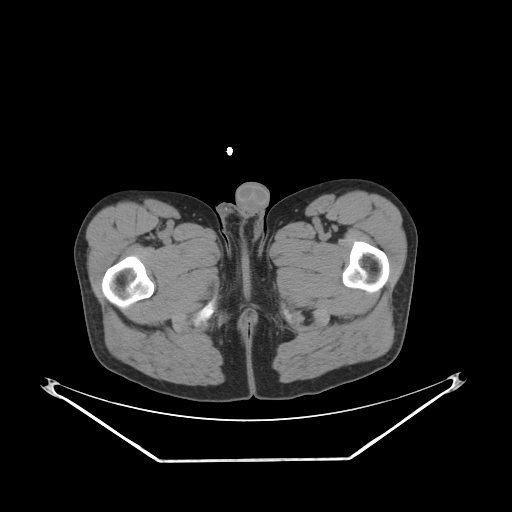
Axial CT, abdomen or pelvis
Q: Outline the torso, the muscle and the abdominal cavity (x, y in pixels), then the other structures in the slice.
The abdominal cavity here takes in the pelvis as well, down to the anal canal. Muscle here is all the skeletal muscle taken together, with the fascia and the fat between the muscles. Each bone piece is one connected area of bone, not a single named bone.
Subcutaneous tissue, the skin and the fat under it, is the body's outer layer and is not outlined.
A: {"torso":[[[337,178],[363,178],[387,187],[407,207],[417,229],[406,333],[389,365],[292,400],[212,403],[154,392],[97,361],[87,336],[73,247],[84,216],[100,198],[124,189],[169,190],[213,208],[233,202],[239,184],[256,181],[270,193],[266,213],[287,195]]],"muscle":[{"outer":[[345,189],[361,189],[380,194],[398,208],[402,217],[407,255],[392,295],[394,341],[386,353],[375,359],[343,366],[318,377],[282,383],[277,380],[271,366],[273,353],[284,336],[284,326],[268,268],[269,244],[281,222],[293,210],[322,194]],"hole":[[356,240],[365,241],[372,245],[378,247],[386,254],[388,258],[388,261],[389,262],[389,276],[387,281],[379,291],[376,292],[368,292],[365,290],[358,288],[351,288],[344,285],[342,282],[342,273],[344,268],[348,264],[349,261],[349,254],[353,242]]},{"outer":[[130,198],[155,198],[181,204],[202,216],[218,236],[223,250],[223,286],[213,334],[215,342],[227,362],[227,379],[221,384],[206,386],[185,385],[159,380],[117,360],[105,346],[100,306],[91,290],[87,273],[85,233],[89,222],[98,211],[115,201]],"holes":[[[129,255],[136,256],[143,263],[145,266],[146,272],[148,276],[154,283],[154,291],[149,297],[144,298],[143,299],[140,299],[134,302],[129,306],[123,309],[121,309],[111,303],[104,296],[101,289],[101,282],[105,271],[110,266],[113,265],[119,260]],[[213,298],[214,298],[215,300],[215,309],[213,313],[211,315],[211,316],[208,319],[206,320],[206,321],[204,322],[201,322],[198,325],[195,325],[193,322],[193,320],[196,316],[198,311],[200,309],[201,309],[209,301],[210,301]]]},{"outer":[[248,308],[252,309],[256,312],[257,312],[257,314],[258,315],[258,319],[256,323],[256,326],[255,327],[255,329],[251,337],[251,339],[249,341],[247,341],[246,342],[241,338],[241,335],[239,331],[237,329],[237,322],[239,318],[241,316],[241,314]],"hole":[[244,316],[250,316],[252,318],[252,320],[253,321],[253,323],[251,325],[251,331],[250,332],[250,333],[249,334],[249,335],[246,335],[246,334],[244,332],[244,330],[242,328],[242,324],[241,323],[241,321],[242,320],[242,319],[243,318],[243,317]]}],"abdominal_cavity":[[[244,316],[250,316],[252,318],[252,320],[253,321],[253,323],[251,325],[251,331],[250,332],[250,333],[249,334],[249,335],[246,335],[246,334],[244,332],[244,330],[242,328],[242,324],[241,323],[241,321],[242,320],[242,319],[243,318],[243,317]]],"bones":[[[129,255],[136,256],[143,263],[145,266],[146,272],[148,276],[154,283],[154,291],[149,297],[144,298],[143,299],[140,299],[134,302],[129,306],[123,309],[121,309],[111,303],[104,296],[101,289],[101,282],[105,271],[110,266],[113,265],[119,260]],[[356,240],[365,241],[372,245],[378,247],[386,254],[388,258],[388,261],[389,262],[389,276],[387,281],[379,291],[376,292],[368,292],[365,290],[358,288],[351,288],[344,285],[342,282],[342,273],[344,268],[348,264],[349,261],[349,254],[353,242]],[[213,298],[214,298],[215,300],[215,309],[213,313],[211,315],[211,316],[208,319],[206,320],[206,321],[204,322],[201,322],[198,325],[195,325],[193,322],[193,320],[196,316],[198,311],[200,309],[201,309],[209,301],[210,301]]]}